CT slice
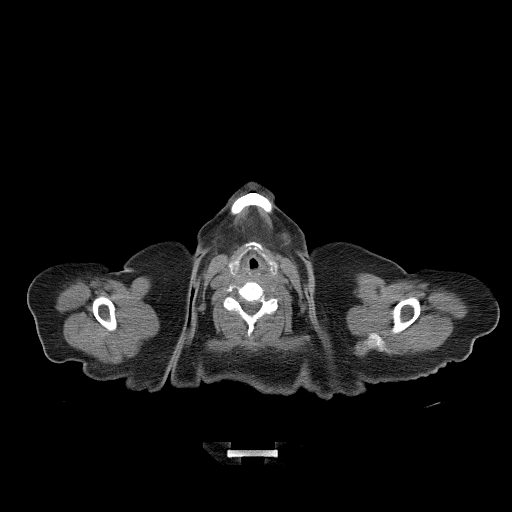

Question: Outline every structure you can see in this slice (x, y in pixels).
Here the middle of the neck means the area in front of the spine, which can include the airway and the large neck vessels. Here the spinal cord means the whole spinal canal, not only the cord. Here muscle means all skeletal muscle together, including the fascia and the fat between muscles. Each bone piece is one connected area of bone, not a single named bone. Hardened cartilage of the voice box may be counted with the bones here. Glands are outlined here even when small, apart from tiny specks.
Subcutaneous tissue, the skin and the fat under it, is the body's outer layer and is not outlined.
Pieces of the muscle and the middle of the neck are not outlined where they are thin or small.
Answer: The muscle appears in 3 outlined pieces: piece 1: [[250,187],[264,192],[271,200],[257,191],[249,191],[231,203],[229,212],[235,215],[247,206],[257,206],[271,213],[274,206],[293,237],[307,287],[309,337],[304,345],[291,351],[234,349],[222,352],[204,349],[203,346],[203,268],[230,202]] with a hole at [[250,241],[259,243],[262,251],[277,265],[274,277],[257,282],[266,293],[277,298],[278,306],[273,313],[261,316],[248,336],[247,323],[236,311],[226,309],[223,301],[230,294],[225,288],[230,284],[241,286],[246,281],[232,277],[228,264]]; piece 2: [[360,271],[444,285],[448,290],[457,293],[471,307],[455,324],[451,335],[434,350],[413,355],[387,355],[381,353],[388,350],[385,341],[373,331],[355,344],[355,352],[357,354],[371,350],[379,352],[373,351],[372,352],[369,353],[362,358],[357,357],[347,351],[350,338],[344,316],[353,275]] with a hole at [[409,297],[415,297],[419,300],[420,302],[420,313],[417,317],[417,318],[405,329],[402,330],[398,333],[395,333],[394,334],[391,332],[391,328],[392,327],[392,315],[391,314],[391,312],[392,311],[392,309],[400,300],[402,299],[405,299]]; piece 3: [[143,274],[148,274],[153,278],[154,285],[152,290],[158,307],[158,321],[161,329],[137,354],[126,358],[118,364],[103,363],[70,346],[65,341],[62,334],[62,318],[55,309],[54,303],[58,292],[66,284],[76,278],[104,277],[121,281],[134,279]] with a hole at [[98,296],[104,296],[105,297],[107,297],[113,303],[115,307],[115,317],[116,318],[116,322],[117,323],[117,326],[116,328],[112,331],[110,331],[105,327],[104,327],[96,319],[96,318],[93,314],[93,312],[92,311],[92,302],[93,300]]. The head and neck is outlined by [[249,180],[260,182],[275,194],[281,209],[302,230],[307,246],[310,249],[314,246],[311,309],[302,387],[295,394],[285,397],[260,394],[251,387],[237,382],[203,383],[189,304],[192,251],[196,246],[196,235],[202,225],[222,207],[227,198],[240,185]]. The right arm is outlined by [[72,261],[101,262],[112,271],[126,267],[157,286],[163,295],[170,313],[169,340],[157,366],[134,384],[124,387],[124,380],[121,378],[97,381],[82,372],[82,364],[78,361],[56,363],[45,356],[34,319],[27,306],[27,289],[32,279],[45,268]]. The bones appear in 6 outlined pieces: piece 1: [[249,280],[257,282],[266,293],[271,293],[278,300],[277,309],[273,313],[264,314],[254,323],[253,330],[250,336],[247,335],[248,325],[244,319],[236,311],[230,311],[226,309],[223,305],[224,298],[230,294],[224,289],[225,288],[230,284],[241,286]], around a hole outlined by [[241,300],[244,300],[245,301],[247,301],[248,302],[253,302],[254,301],[257,301],[260,303],[260,307],[258,309],[258,310],[256,312],[255,312],[253,314],[249,314],[248,313],[247,313],[243,309],[243,308],[241,305],[241,303],[240,302],[240,301]]; piece 2: [[409,297],[415,297],[419,300],[420,302],[420,313],[417,317],[417,318],[405,329],[402,330],[398,333],[395,333],[394,334],[391,332],[391,328],[392,327],[392,315],[391,314],[391,312],[392,311],[392,309],[400,300],[402,299],[405,299]]; piece 3: [[98,296],[104,296],[105,297],[107,297],[113,303],[115,307],[115,317],[116,318],[116,322],[117,323],[117,326],[116,328],[112,331],[110,331],[105,327],[104,327],[96,319],[96,318],[93,314],[93,312],[92,311],[92,302],[93,300]]; piece 4: [[249,192],[257,192],[263,195],[270,201],[271,201],[273,204],[273,208],[271,212],[267,212],[265,211],[260,206],[258,206],[257,205],[247,205],[245,206],[238,213],[232,214],[230,212],[230,207],[232,203],[238,197],[242,195],[244,195]]; piece 5: [[250,241],[255,241],[259,243],[263,248],[262,251],[270,259],[276,263],[277,272],[275,275],[270,271],[270,266],[267,261],[257,250],[251,248],[248,249],[240,258],[235,274],[234,275],[231,274],[228,266],[229,262],[233,260],[245,248],[244,244]]; piece 6: [[373,332],[377,333],[381,337],[381,338],[384,341],[384,344],[387,350],[386,351],[380,352],[379,351],[377,351],[375,349],[371,349],[368,351],[360,351],[358,353],[357,353],[356,352],[356,349],[355,348],[356,344],[364,340],[370,333],[372,333]]. The torso appears in 2 outlined pieces: piece 1: [[332,240],[345,240],[353,242],[370,250],[345,278],[336,296],[334,310],[334,337],[340,355],[346,365],[359,378],[373,385],[369,385],[365,393],[357,396],[350,397],[336,394],[329,401],[324,401],[307,393],[302,390],[302,388],[312,309],[315,245]]; piece 2: [[166,239],[180,240],[191,251],[188,304],[202,383],[197,389],[175,389],[170,385],[170,381],[167,378],[161,389],[157,392],[129,391],[125,388],[149,376],[158,366],[164,355],[170,340],[171,313],[164,295],[158,286],[123,264],[138,250],[154,242]]. The submandibular glands are outlined by [[281,234],[286,234],[286,235],[287,236],[287,239],[288,240],[288,242],[286,244],[285,244],[284,243],[283,243],[283,238],[281,236]]. The spinal cord is outlined by [[241,300],[244,300],[245,301],[247,301],[248,302],[253,302],[254,301],[257,301],[260,303],[260,307],[258,309],[258,310],[256,312],[255,312],[253,314],[249,314],[248,313],[247,313],[243,309],[243,308],[241,305],[241,303],[240,302],[240,301]]. The middle of the neck is outlined by [[250,249],[257,251],[266,261],[269,266],[269,271],[274,276],[274,277],[270,279],[260,279],[257,281],[251,279],[246,280],[245,279],[240,279],[239,278],[232,277],[232,276],[234,276],[236,274],[236,272],[238,270],[241,258],[246,253],[246,252]]. The left arm is outlined by [[371,251],[395,261],[409,272],[421,268],[457,269],[477,275],[489,286],[498,302],[497,325],[473,342],[470,354],[463,361],[450,362],[434,374],[407,381],[375,385],[362,379],[347,365],[341,355],[335,337],[335,310],[337,296],[344,281]].